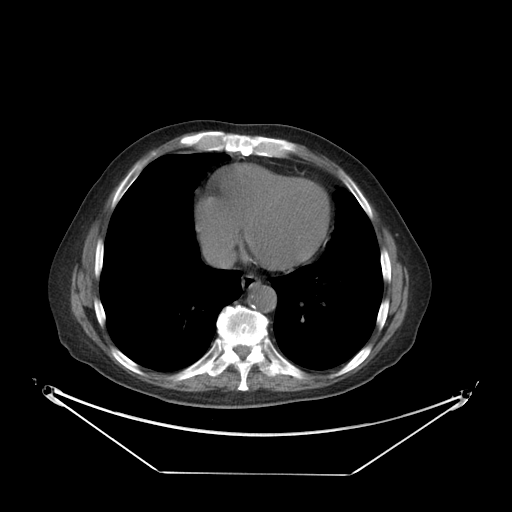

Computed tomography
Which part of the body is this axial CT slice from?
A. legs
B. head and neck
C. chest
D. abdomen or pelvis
C. chest
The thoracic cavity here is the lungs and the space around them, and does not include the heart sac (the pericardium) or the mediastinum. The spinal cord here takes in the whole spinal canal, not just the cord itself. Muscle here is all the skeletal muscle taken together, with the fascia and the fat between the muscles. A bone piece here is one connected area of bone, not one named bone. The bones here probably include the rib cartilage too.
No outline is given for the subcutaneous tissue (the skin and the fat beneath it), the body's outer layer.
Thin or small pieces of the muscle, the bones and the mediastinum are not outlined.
Outlines:
torso: 193,119 297,126 342,147 373,173 422,250 432,278 430,300 415,341 395,364 366,383 334,396 264,407 223,409 171,403 132,390 107,379 68,353 58,339 47,299 49,268 67,228 91,186 122,150 159,127
bones 1: 238,304 267,317 272,343 304,372 305,377 299,379 281,373 268,376 253,364 246,377 248,389 241,391 237,389 240,373 230,364 216,376 201,373 181,380 171,379 210,348 217,336 216,321 221,310 227,305 with a hole at 238,345 242,345 243,346 247,346 248,347 249,347 250,348 250,351 249,352 249,353 244,358 241,358 236,353 236,352 234,350 234,349 235,348 235,347 236,347
bones 2: 208,130 219,130 227,133 238,133 251,136 261,135 273,138 281,138 293,142 297,147 297,151 295,153 290,153 284,157 254,154 242,155 237,151 196,151 193,147 186,147 181,145 179,143 179,140 186,135
bones 3: 147,158 148,158 148,161 146,165 141,170 137,177 132,182 123,194 121,198 116,204 115,207 112,209 111,208 111,204 112,203 113,197 115,194 116,190 118,188 122,180 126,176 132,167 137,162 139,162
bones 4: 340,172 344,172 354,181 360,191 363,194 363,195 367,200 371,208 371,211 372,212 372,218 371,219 369,218 367,214 364,211 364,210 362,208 362,207 360,205 354,195 344,185 344,184 342,182 340,178
bones 5: 367,344 369,344 371,345 371,350 369,354 362,362 361,362 357,366 351,369 349,371 347,371 340,375 338,375 337,376 334,376 333,377 330,377 329,376 330,374 332,374 336,372 340,368 341,368 365,345
bones 6: 113,346 116,347 128,358 129,358 131,360 135,362 139,366 139,368 145,373 145,375 141,375 140,374 138,374 130,370 128,368 125,367 122,364 121,364 112,355 111,353 111,347
bones 7: 382,248 385,248 386,249 386,250 388,253 388,256 389,257 389,259 390,260 390,265 391,266 391,279 389,282 387,282 386,281 384,281 383,280 383,276 382,275 382,269 381,268 381,263 380,262 380,250
bones 8: 99,238 100,238 103,240 103,262 102,263 102,268 101,269 101,272 100,273 100,275 99,276 99,278 98,279 97,279 95,276 95,272 94,271 94,267 95,266 95,251 96,250 96,245 97,244 97,241
bones 9: 385,298 387,298 389,300 389,306 388,307 388,310 387,311 387,317 385,320 385,322 383,325 383,327 380,330 379,330 378,329 378,327 376,325 376,319 377,318 377,314 379,310 380,304 382,300
bones 10: 95,298 98,298 100,300 100,301 102,304 102,306 103,307 104,312 105,313 105,325 103,327 101,327 101,326 99,324 99,323 97,320 96,315 95,314 95,311 94,310 94,299
pericardium: 239,158 256,159 259,161 293,166 317,177 329,187 334,207 333,223 325,245 313,261 296,267 288,273 271,274 263,271 241,270 230,267 215,267 204,260 196,236 193,214 193,206 197,192 206,177 215,169
spinal cord: 238,345 242,345 243,346 247,346 248,347 249,347 250,348 250,351 249,352 249,353 244,358 241,358 236,353 236,352 234,350 234,349 235,348 235,347 236,347
muscle 1: 121,180 111,200 113,210 104,240 99,237 96,241 93,267 94,276 99,279 99,298 93,299 93,310 98,324 101,328 106,327 114,344 110,347 111,355 141,376 146,373 140,366 158,372 178,371 170,376 173,381 201,374 216,377 233,365 240,377 237,390 181,391 142,381 115,364 76,320 70,304 72,272 74,266 81,263 84,241 92,224
muscle 2: 366,197 391,234 408,272 407,308 401,325 365,366 344,379 323,387 297,391 264,388 247,391 247,377 253,365 268,377 281,374 299,380 306,377 300,368 322,371 343,365 328,375 333,378 354,369 370,354 372,345 367,342 375,326 380,331 388,317 390,300 383,298 383,286 384,282 389,283 392,279 392,266 387,249 379,247 371,222 372,208
muscle 3: 295,143 304,145 314,152 324,155 341,167 344,171 340,171 339,172 339,178 341,181 335,176 332,175 331,173 328,172 322,167 316,165 311,161 302,159 294,155 288,155 290,154 295,154 298,151 298,147
muscle 4: 190,132 196,132 191,134 186,134 182,136 178,140 178,143 181,146 183,146 186,148 193,148 195,151 189,151 188,150 186,150 185,151 176,151 175,152 169,152 168,153 165,153 160,155 148,163 149,161 149,158 148,157 144,158 139,161 137,161 142,156 143,156 150,150 159,146 161,144 165,143 167,141 175,137 177,137 183,134 189,133
thoracic cavity 1: 186,151 226,155 205,172 195,188 192,214 200,259 212,268 239,271 241,293 218,313 215,321 216,336 197,360 180,370 158,371 139,365 128,357 110,336 100,299 104,241 114,209 142,170 162,155
thoracic cavity 2: 345,187 353,195 372,225 379,248 383,281 382,298 369,338 350,359 328,369 307,369 288,360 274,344 272,326 278,304 278,294 270,278 288,274 301,266 315,262 320,257 335,226 336,203 333,194 337,189
mediastinum 1: 238,270 263,272 271,275 285,274 272,276 269,278 271,286 277,294 277,304 271,326 271,333 274,340 273,343 269,335 268,327 270,320 267,316 255,309 239,303 235,305 230,304 236,300 242,293 241,272
mediastinum 2: 213,152 237,152 242,156 276,158 294,156 322,168 344,186 337,188 333,192 332,194 332,197 335,203 335,214 334,226 332,231 334,223 335,207 332,198 332,191 330,187 317,176 299,167 273,161 239,157 220,165 202,181 193,205 194,192 206,172 227,157 224,152
mediastinum 3: 325,246 325,247 324,248 324,249 323,250 323,251 321,253 321,254 319,256 319,257 315,261 314,261 316,259 316,258 317,258 318,257 318,256 320,254 320,253 322,251 322,250 324,248 324,247